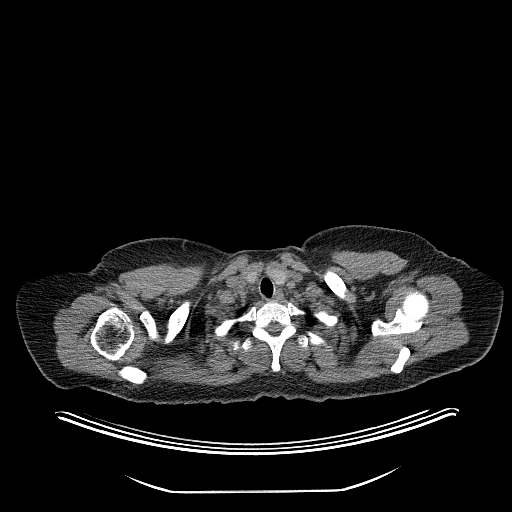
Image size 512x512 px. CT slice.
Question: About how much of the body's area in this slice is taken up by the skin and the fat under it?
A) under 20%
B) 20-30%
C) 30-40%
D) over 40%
Answer: C) 30-40%
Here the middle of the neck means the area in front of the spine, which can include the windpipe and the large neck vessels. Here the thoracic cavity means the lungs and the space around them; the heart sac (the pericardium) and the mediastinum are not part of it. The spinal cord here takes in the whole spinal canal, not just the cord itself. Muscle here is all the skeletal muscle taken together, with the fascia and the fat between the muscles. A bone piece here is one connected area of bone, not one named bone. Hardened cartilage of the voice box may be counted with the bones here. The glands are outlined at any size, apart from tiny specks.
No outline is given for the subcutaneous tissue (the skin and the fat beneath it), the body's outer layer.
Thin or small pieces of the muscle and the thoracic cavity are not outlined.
The muscle is outlined by (381, 249) (407, 259) (404, 272) (431, 271) (453, 278) (463, 294) (463, 308) (458, 314) (470, 331) (467, 343) (404, 369) (411, 350) (402, 345) (389, 374) (350, 383) (317, 383) (291, 372) (253, 374) (239, 383) (219, 386) (170, 381) (147, 384) (148, 375) (138, 366) (124, 364) (116, 371) (130, 382) (110, 380) (66, 368) (55, 352) (56, 310) (124, 271) (164, 262) (212, 267) (242, 254) (266, 259) (285, 251) (316, 262) (326, 260) (333, 250) with holes at (267, 269) (299, 278) (297, 290) (282, 299) (282, 304) (290, 302) (338, 318) (334, 325) (326, 326) (318, 321) (308, 324) (298, 317) (298, 334) (310, 330) (330, 347) (310, 343) (303, 348) (295, 334) (281, 347) (278, 371) (271, 368) (272, 352) (263, 340) (252, 336) (250, 349) (230, 349) (232, 341) (251, 335) (248, 322) (234, 325) (226, 335) (214, 333) (215, 326) (237, 317) (245, 305) (247, 311) (261, 305) (242, 299) (238, 284) (247, 273) and at (111, 307) (117, 307) (126, 313) (131, 319) (131, 321) (133, 325) (133, 329) (134, 330) (134, 338) (130, 346) (125, 351) (123, 355) (122, 355) (119, 358) (119, 359) (117, 360) (110, 360) (106, 358) (100, 354) (93, 347) (90, 342) (90, 336) (98, 315) (104, 310) and at (414, 290) (419, 290) (421, 292) (424, 293) (427, 296) (429, 300) (429, 309) (427, 315) (423, 319) (423, 323) (420, 328) (410, 333) (373, 336) (371, 332) (371, 323) (376, 318) (379, 318) (385, 322) (391, 321) (395, 315) (397, 308) (401, 305) (406, 294) (408, 292) and at (185, 299) (188, 299) (190, 300) (191, 302) (187, 318) (181, 330) (176, 335) (176, 336) (173, 339) (173, 340) (168, 344) (165, 344) (163, 342) (163, 338) (166, 333) (166, 330) (167, 329) (166, 328) (166, 324) (167, 323) (168, 317) (170, 315) (170, 314) and at (328, 269) (334, 272) (336, 274) (337, 274) (341, 278) (341, 279) (345, 284) (346, 286) (346, 288) (347, 289) (347, 292) (346, 293) (346, 295) (349, 300) (348, 301) (344, 299) (341, 299) (337, 295) (336, 295) (325, 282) (323, 278) (323, 274) (325, 272) (325, 271) and at (145, 309) (146, 309) (149, 311) (149, 312) (155, 320) (155, 322) (156, 323) (156, 326) (157, 327) (157, 329) (160, 334) (160, 338) (157, 341) (154, 341) (153, 340) (151, 340) (148, 338) (148, 336) (147, 335) (147, 331) (146, 330) (144, 325) (140, 320) (140, 314). The left arm is outlined by (436, 247) (449, 255) (460, 258) (469, 264) (488, 272) (499, 280) (503, 287) (503, 305) (501, 310) (501, 317) (495, 338) (490, 349) (480, 360) (474, 364) (466, 366) (458, 371) (445, 375) (438, 368) (421, 337) (410, 304) (410, 282) (426, 264). The right arm is outlined by (71, 267) (76, 267) (82, 270) (89, 270) (94, 267) (127, 299) (143, 326) (144, 345) (139, 352) (120, 370) (103, 383) (88, 388) (77, 387) (73, 389) (64, 389) (50, 382) (40, 372) (30, 356) (21, 335) (16, 315) (15, 302) (20, 286) (30, 277) (42, 272). The bones appear in 9 outlined pieces: piece 1: (272, 300) (303, 309) (297, 333) (310, 330) (330, 347) (310, 343) (303, 348) (295, 334) (281, 347) (278, 371) (271, 368) (272, 352) (263, 340) (252, 336) (250, 349) (230, 349) (232, 341) (251, 335) (250, 324) (237, 323) (222, 336) (215, 335) (215, 326) with a hole at (271, 322) (277, 322) (278, 323) (279, 323) (282, 326) (282, 328) (281, 329) (281, 330) (277, 334) (271, 334) (269, 332) (268, 332) (266, 330) (266, 327); piece 2: (111, 307) (117, 307) (126, 313) (131, 319) (131, 321) (133, 325) (133, 329) (134, 330) (134, 338) (130, 346) (125, 351) (123, 355) (122, 355) (119, 358) (119, 359) (117, 360) (110, 360) (106, 358) (100, 354) (93, 347) (90, 342) (90, 336) (98, 315) (104, 310); piece 3: (414, 290) (419, 290) (421, 292) (424, 293) (427, 296) (429, 300) (429, 309) (427, 315) (423, 319) (423, 323) (420, 328) (410, 333) (373, 336) (371, 332) (371, 323) (376, 318) (379, 318) (385, 322) (391, 321) (395, 315) (397, 308) (401, 305) (406, 294) (408, 292); piece 4: (185, 299) (188, 299) (190, 300) (191, 302) (187, 318) (181, 330) (176, 335) (176, 336) (173, 339) (173, 340) (168, 344) (165, 344) (163, 342) (163, 338) (166, 333) (166, 330) (167, 329) (166, 328) (166, 324) (167, 323) (168, 317) (170, 315) (170, 314); piece 5: (328, 269) (334, 272) (336, 274) (337, 274) (341, 278) (341, 279) (345, 284) (346, 286) (346, 288) (347, 289) (347, 292) (346, 293) (346, 295) (349, 300) (348, 301) (344, 299) (341, 299) (337, 295) (336, 295) (325, 282) (323, 278) (323, 274) (325, 272) (325, 271); piece 6: (124, 365) (132, 365) (133, 366) (138, 367) (146, 373) (146, 374) (147, 375) (147, 378) (142, 384) (137, 384) (136, 383) (134, 383) (133, 382) (128, 381) (126, 379) (125, 379) (121, 376) (120, 376) (117, 372) (117, 371) (119, 369) (120, 369); piece 7: (145, 309) (146, 309) (149, 311) (149, 312) (155, 320) (155, 322) (156, 323) (156, 326) (157, 327) (157, 329) (160, 334) (160, 338) (157, 341) (154, 341) (153, 340) (151, 340) (148, 338) (148, 336) (147, 335) (147, 331) (146, 330) (144, 325) (140, 320) (140, 314); piece 8: (402, 346) (405, 346) (406, 347) (407, 347) (410, 350) (410, 355) (407, 359) (407, 360) (405, 362) (405, 363) (404, 364) (404, 367) (403, 368) (403, 369) (399, 373) (392, 373) (390, 370) (391, 365) (395, 361) (395, 360) (398, 355) (399, 350); piece 9: (318, 311) (325, 311) (326, 312) (327, 312) (329, 314) (331, 314) (332, 315) (335, 315) (336, 316) (337, 316) (337, 317) (338, 318) (338, 320) (337, 321) (337, 322) (334, 325) (333, 325) (332, 326) (326, 326) (324, 324) (319, 322) (312, 315) (312, 312) (317, 312). The spinal cord is outlined by (271, 322) (277, 322) (278, 323) (279, 323) (282, 326) (282, 328) (281, 329) (281, 330) (277, 334) (271, 334) (269, 332) (268, 332) (266, 330) (266, 327). The thoracic cavity appears in 2 outlined pieces: piece 1: (304, 309) (307, 309) (308, 310) (309, 310) (311, 312) (311, 315) (317, 321) (316, 322) (315, 322) (314, 323) (313, 323) (312, 324) (308, 324) (307, 323) (306, 323) (306, 321) (304, 319) (304, 317) (305, 316) (305, 315) (307, 313) (306, 312) (306, 311); piece 2: (245, 305) (248, 305) (247, 306) (247, 307) (246, 308) (246, 311) (245, 311) (244, 312) (243, 312) (240, 315) (239, 315) (238, 316) (238, 312) (239, 311) (239, 310) (242, 307) (244, 307) (245, 306). The torso is outlined by (347, 224) (411, 231) (435, 246) (409, 282) (409, 304) (420, 337) (442, 376) (399, 392) (322, 402) (262, 396) (226, 404) (158, 405) (89, 388) (109, 380) (145, 345) (145, 329) (131, 303) (95, 268) (108, 250) (161, 236) (193, 239) (228, 252) (300, 246) (320, 230). The middle of the neck is outlined by (263, 271) (265, 271) (272, 281) (278, 286) (283, 285) (288, 277) (299, 278) (297, 290) (293, 295) (282, 299) (280, 302) (272, 299) (261, 304) (259, 301) (251, 301) (247, 303) (240, 297) (238, 284) (244, 278) (245, 281) (249, 284) (256, 284) (259, 281) (261, 272). The thyroid glands appear in 2 outlined pieces: piece 1: (267, 269) (275, 269) (276, 270) (278, 270) (279, 271) (284, 272) (287, 275) (287, 279) (284, 282) (284, 283) (283, 284) (282, 284) (281, 285) (278, 285) (277, 284) (276, 284) (273, 281) (273, 280) (271, 278) (271, 277) (267, 273) (267, 272) (266, 271) (266, 270); piece 2: (258, 270) (259, 270) (260, 271) (260, 274) (259, 275) (259, 277) (258, 278) (258, 281) (256, 283) (255, 283) (254, 284) (251, 284) (247, 281) (246, 281) (246, 280) (244, 277) (247, 273) (248, 273) (249, 272) (251, 272) (252, 271) (257, 271).